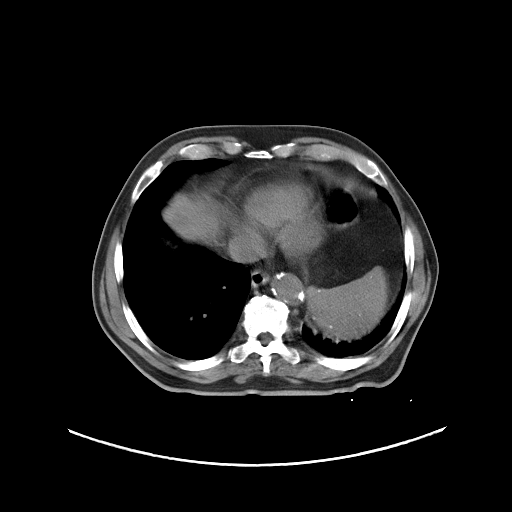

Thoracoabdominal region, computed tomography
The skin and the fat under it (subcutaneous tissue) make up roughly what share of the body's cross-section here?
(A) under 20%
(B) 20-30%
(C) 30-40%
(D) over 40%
Answer: (A) under 20%
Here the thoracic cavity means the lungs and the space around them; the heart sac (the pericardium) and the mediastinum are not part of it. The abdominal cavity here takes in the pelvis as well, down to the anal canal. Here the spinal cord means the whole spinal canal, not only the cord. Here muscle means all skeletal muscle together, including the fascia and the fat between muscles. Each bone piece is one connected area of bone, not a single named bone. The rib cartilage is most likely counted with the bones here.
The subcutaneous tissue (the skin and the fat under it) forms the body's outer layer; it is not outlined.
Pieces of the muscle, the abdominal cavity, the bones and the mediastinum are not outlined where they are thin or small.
The mediastinum appears in 2 outlined pieces: piece 1: 234 231; 260 257; 268 260; 296 264; 301 267; 305 283; 305 311; 302 319; 303 326; 300 340; 296 338; 288 323; 290 312; 288 306; 283 301; 264 293; 253 295; 246 302; 251 287; 250 269; 239 262; 225 259; 210 250; 222 248; piece 2: 239 154; 250 159; 269 160; 298 156; 317 161; 342 160; 371 180; 374 186; 353 175; 340 173; 327 165; 306 162; 256 168; 242 177; 231 192; 223 180; 214 177; 194 181; 177 189; 191 174; 210 172; 228 165; 228 160; 216 157. The pericardium is outlined by 274 166; 289 168; 290 170; 301 175; 318 196; 323 210; 325 219; 323 241; 311 256; 299 265; 296 263; 268 259; 260 256; 250 246; 250 244; 234 230; 236 225; 236 216; 234 210; 234 200; 231 193; 234 187; 250 172; 256 169. The muscle appears in 5 outlined pieces: piece 1: 383 172; 394 186; 403 207; 416 224; 421 236; 424 254; 428 258; 428 269; 430 271; 431 281; 427 299; 422 310; 392 353; 379 365; 369 370; 349 378; 330 381; 328 383; 295 383; 276 375; 267 376; 270 374; 270 363; 272 354; 274 353; 292 365; 297 364; 302 359; 303 352; 295 345; 288 343; 292 331; 297 340; 318 353; 312 357; 314 365; 320 365; 341 372; 356 369; 371 361; 374 357; 372 354; 363 354; 385 336; 386 339; 383 346; 386 347; 400 331; 413 298; 413 292; 411 290; 405 291; 405 289; 407 274; 410 275; 414 270; 414 235; 408 225; 406 225; 404 229; 402 227; 398 208; 386 189; 388 182; piece 2: 130 194; 130 203; 133 207; 122 242; 117 240; 115 243; 112 265; 116 281; 119 284; 122 281; 123 284; 127 303; 123 301; 121 308; 132 332; 153 354; 159 355; 155 345; 182 359; 175 360; 172 364; 184 371; 207 370; 226 359; 238 364; 250 354; 256 353; 262 365; 262 374; 265 376; 254 375; 244 383; 200 383; 184 379; 150 364; 109 327; 99 301; 100 279; 111 235; 124 213; piece 3: 221 135; 234 136; 239 140; 246 141; 255 148; 259 149; 244 150; 242 144; 238 141; 223 140; 220 143; 219 148; 223 152; 227 154; 223 156; 213 156; 214 148; 210 144; 203 142; 192 142; 180 147; 176 151; 176 153; 180 157; 183 158; 176 159; 169 163; 165 167; 164 167; 165 166; 164 162; 161 159; 158 159; 169 147; 173 144; 182 140; 194 137; 198 137; 199 136; 220 136; piece 4: 304 136; 312 136; 313 137; 325 138; 326 139; 334 141; 337 143; 339 143; 342 145; 347 146; 351 148; 353 150; 363 154; 367 157; 363 156; 360 154; 358 154; 355 152; 344 150; 338 147; 336 147; 329 144; 325 144; 324 143; 310 143; 309 144; 304 145; 301 148; 299 152; 299 156; 298 155; 294 155; 298 150; 298 144; 294 141; 289 141; 293 138; 295 138; 296 137; 303 137; piece 5: 240 329; 241 330; 241 333; 243 335; 243 339; 241 341; 238 341; 236 343; 234 343; 232 345; 229 346; 226 349; 225 351; 223 350; 223 349; 226 346; 228 345; 228 344; 232 340; 232 339; 236 335; 236 334. The abdominal cavity appears in 2 outlined pieces: piece 1: 306 163; 327 166; 374 187; 396 220; 401 223; 405 272; 399 291; 393 305; 379 324; 361 339; 334 342; 320 334; 314 334; 303 321; 306 311; 306 283; 300 265; 305 263; 323 243; 326 229; 326 219; 319 196; 301 174; 286 167; piece 2: 214 178; 223 181; 228 187; 232 196; 233 210; 235 216; 235 225; 233 232; 226 243; 222 247; 218 247; 217 249; 207 249; 198 245; 191 245; 183 243; 174 235; 163 221; 160 211; 166 201; 175 190; 183 188; 194 182; 211 180. The bones appear in 10 outlined pieces: piece 1: 263 294; 283 302; 289 309; 287 323; 291 334; 287 343; 302 352; 297 363; 292 364; 274 352; 266 376; 256 352; 241 362; 226 358; 203 370; 184 370; 173 364; 183 359; 204 359; 241 342; 244 339; 241 329; 244 306; 253 296, around a hole outlined by 265 332; 267 332; 268 333; 269 333; 271 335; 271 336; 272 337; 272 339; 268 343; 267 343; 265 345; 264 345; 263 344; 262 344; 262 343; 260 341; 260 340; 258 338; 259 337; 259 335; 261 333; 264 333; piece 2: 310 144; 329 145; 344 151; 355 153; 363 157; 369 158; 378 166; 379 169; 382 172; 387 182; 387 187; 385 188; 377 184; 360 172; 353 165; 342 159; 317 160; 316 159; 309 159; 305 157; 301 157; 300 152; 302 148; 304 146; piece 3: 223 141; 238 142; 241 144; 244 151; 259 150; 260 149; 268 150; 270 147; 276 144; 294 142; 297 144; 297 150; 293 155; 287 157; 274 157; 269 159; 268 158; 250 158; 244 156; 241 152; 238 154; 226 153; 220 148; 220 145; piece 4: 316 354; 320 354; 327 357; 332 357; 333 358; 345 358; 346 357; 353 357; 354 356; 369 355; 370 354; 372 355; 373 357; 372 359; 368 362; 356 368; 341 371; 340 370; 331 369; 320 364; 314 364; 315 361; 313 357; 314 355; piece 5: 157 160; 161 160; 163 162; 163 164; 164 166; 162 170; 160 172; 160 173; 143 190; 143 191; 140 194; 139 197; 134 203; 134 204; 132 204; 131 203; 131 194; 138 179; 140 177; 141 174; 144 171; 144 170; 150 165; 154 163; piece 6: 123 302; 126 303; 129 306; 130 309; 135 316; 138 323; 146 335; 154 344; 153 345; 155 349; 158 352; 158 355; 153 353; 150 350; 149 350; 139 340; 139 339; 131 329; 125 318; 125 316; 123 312; 123 309; 122 308; 122 303; piece 7: 407 291; 411 291; 412 292; 412 298; 409 304; 409 308; 407 311; 406 317; 399 331; 396 334; 394 338; 386 346; 384 346; 384 344; 387 339; 387 336; 386 335; 389 331; 396 317; 396 315; 402 302; 403 296; 405 292; piece 8: 192 143; 203 143; 204 144; 208 144; 210 145; 213 148; 213 153; 212 154; 212 156; 211 157; 208 157; 207 158; 202 158; 201 159; 187 159; 186 158; 184 158; 180 156; 177 153; 177 151; 180 148; 188 144; 191 144; piece 9: 406 226; 408 226; 410 228; 410 230; 411 231; 411 232; 413 235; 413 244; 414 245; 414 263; 413 264; 413 270; 412 271; 412 272; 410 274; 408 274; 406 272; 406 266; 405 265; 405 260; 404 259; 404 230; 405 229; piece 10: 117 241; 120 241; 122 244; 122 258; 123 259; 123 279; 119 283; 117 281; 117 280; 116 279; 116 276; 115 275; 115 271; 114 270; 114 266; 113 265; 113 258; 114 257; 114 251; 115 250; 115 246; 116 245; 116 243; 117 242. The torso is outlined by 220 124; 307 124; 347 132; 381 156; 416 203; 437 253; 439 273; 432 303; 404 365; 387 385; 364 386; 349 392; 321 396; 206 396; 169 391; 140 372; 103 331; 92 304; 92 267; 104 222; 123 184; 143 154; 162 138; 189 127. The spinal cord is outlined by 265 332; 267 332; 268 333; 269 333; 271 335; 271 336; 272 337; 272 339; 268 343; 267 343; 265 345; 264 345; 263 344; 262 344; 262 343; 260 341; 260 340; 258 338; 259 337; 259 335; 261 333; 264 333. The thoracic cavity appears in 3 outlined pieces: piece 1: 212 157; 226 160; 228 164; 188 175; 165 201; 159 214; 165 225; 183 244; 204 248; 225 260; 247 267; 250 287; 242 309; 241 328; 227 345; 210 356; 185 359; 156 345; 128 304; 123 283; 122 243; 135 203; 164 168; 176 160; piece 2: 404 273; 406 273; 404 293; 395 317; 386 334; 364 353; 345 357; 327 356; 315 351; 301 340; 304 324; 314 335; 320 335; 322 338; 328 339; 334 343; 350 343; 357 340; 361 340; 371 333; 380 324; 394 305; 398 293; 400 291; piece 3: 375 183; 377 185; 384 188; 391 196; 391 197; 397 208; 397 210; 399 213; 399 216; 400 217; 400 222; 397 220; 397 219; 394 215; 390 206; 383 199; 382 199; 382 198; 381 197; 380 197; 380 196; 378 194; 378 192; 375 187.